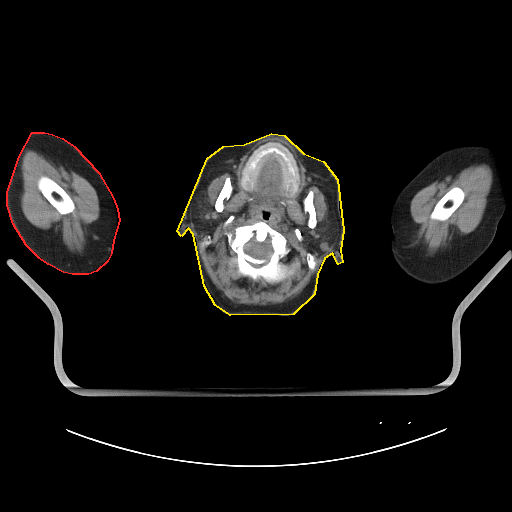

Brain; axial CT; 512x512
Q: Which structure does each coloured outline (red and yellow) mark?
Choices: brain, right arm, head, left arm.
A: red: right arm; yellow: head.
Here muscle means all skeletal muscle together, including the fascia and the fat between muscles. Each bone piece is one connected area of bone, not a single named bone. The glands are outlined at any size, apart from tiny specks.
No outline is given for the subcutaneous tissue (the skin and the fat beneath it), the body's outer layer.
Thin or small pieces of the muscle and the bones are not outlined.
right arm: [[32,132],[44,132],[52,134],[62,138],[74,146],[98,172],[113,198],[117,209],[119,220],[113,240],[111,253],[107,261],[96,271],[88,274],[72,274],[63,272],[48,264],[39,258],[26,245],[13,224],[7,205],[7,192],[19,156]]
head: [[271,133],[284,135],[303,153],[323,161],[337,179],[343,230],[340,250],[342,262],[338,264],[332,253],[324,258],[317,274],[314,294],[293,314],[230,315],[215,305],[204,286],[193,234],[188,228],[181,236],[177,231],[207,158],[223,146],[244,144]]
muscle 1: [[270,138],[283,140],[308,171],[332,187],[334,210],[331,207],[318,223],[314,192],[308,191],[302,205],[308,214],[306,225],[314,229],[309,234],[314,252],[323,254],[334,246],[304,291],[292,301],[276,305],[236,304],[221,295],[206,273],[196,235],[207,235],[202,246],[212,243],[210,235],[219,223],[216,211],[224,210],[224,201],[233,192],[231,178],[224,179],[213,206],[207,191],[200,189],[208,174],[225,159]]; inner edges: [[259,221],[264,221],[270,227],[282,234],[290,248],[289,253],[282,260],[291,267],[293,273],[278,283],[270,284],[261,279],[254,281],[240,275],[237,272],[235,264],[229,264],[229,259],[236,255],[229,246],[225,233],[232,231],[238,226],[251,225]], then [[268,142],[279,143],[286,147],[292,154],[299,174],[298,188],[294,194],[290,190],[287,191],[285,189],[284,181],[288,175],[287,170],[280,160],[280,157],[274,152],[265,155],[257,163],[253,188],[247,190],[243,187],[242,171],[246,162],[258,147]], then [[308,252],[309,252],[310,253],[311,253],[313,255],[313,256],[314,257],[314,260],[315,261],[315,267],[314,268],[314,269],[313,269],[312,270],[311,269],[310,269],[308,267],[308,266],[307,265],[307,260],[306,259],[306,253],[307,253]], then [[231,215],[232,215],[234,217],[233,218],[233,219],[226,226],[224,226],[224,223],[225,222],[225,221]], then [[295,229],[298,229],[299,230],[299,231],[300,232],[300,234],[301,235],[301,236],[302,237],[302,240],[299,240],[298,239],[298,238],[297,237],[297,235],[296,234],[296,233],[295,232]]
muscle 2: [[28,149],[35,150],[56,164],[61,164],[67,169],[75,171],[91,181],[92,185],[96,190],[100,206],[98,234],[99,238],[83,253],[70,251],[40,228],[36,227],[29,222],[21,212],[19,204],[19,195],[21,192],[20,167],[23,156],[26,150]]; inner edge: [[41,176],[46,176],[52,179],[55,182],[56,182],[68,194],[68,195],[73,201],[74,205],[75,206],[75,209],[73,212],[69,213],[68,214],[61,214],[48,201],[48,200],[42,194],[42,193],[38,188],[38,186],[37,185],[37,182],[39,178]]
muscle 3: [[480,163],[485,163],[489,165],[492,170],[493,175],[493,180],[488,201],[481,221],[474,230],[468,233],[454,247],[437,252],[432,255],[423,254],[412,246],[411,244],[409,230],[409,213],[410,212],[409,206],[411,199],[420,189],[433,181],[466,166]] with a hole at [[455,186],[457,186],[461,188],[465,193],[465,195],[464,196],[464,199],[463,201],[446,220],[443,220],[441,221],[437,219],[431,219],[430,218],[430,215],[435,205],[437,203],[437,202],[451,188]]
parotid glands 1: [[202,190],[206,191],[207,195],[208,196],[208,198],[209,199],[209,201],[217,215],[218,223],[216,225],[216,228],[211,234],[195,234],[192,229],[192,227],[190,225],[190,222],[189,221],[189,213],[191,209],[191,205],[198,192]]
parotid glands 2: [[331,208],[334,211],[334,214],[336,218],[336,222],[337,223],[338,233],[332,247],[330,249],[328,249],[325,252],[323,253],[320,253],[319,254],[315,252],[312,245],[310,243],[310,234],[314,231],[318,224],[328,215]]
brain: [[252,238],[254,238],[255,241],[258,243],[262,243],[264,242],[267,239],[269,240],[269,242],[270,243],[270,245],[271,246],[272,251],[269,255],[269,257],[268,259],[266,259],[263,257],[255,257],[247,253],[245,251],[244,249],[244,247],[245,245]]
bones 1: [[259,221],[264,221],[270,227],[282,234],[290,248],[289,253],[282,260],[291,267],[293,273],[278,283],[270,284],[261,279],[254,281],[240,275],[237,272],[235,264],[229,264],[229,259],[236,255],[229,246],[225,233],[232,231],[238,226],[251,225]], around a hole outlined by [[252,238],[254,238],[255,241],[258,243],[262,243],[264,242],[267,239],[269,240],[269,242],[270,243],[270,245],[271,246],[272,251],[269,255],[269,257],[268,259],[266,259],[263,257],[255,257],[247,253],[245,251],[244,249],[244,247],[245,245]]
bones 2: [[268,142],[279,143],[286,147],[292,154],[299,174],[298,188],[294,194],[290,190],[287,191],[285,189],[284,181],[288,175],[287,170],[280,160],[280,157],[274,152],[265,155],[257,163],[253,188],[247,190],[243,187],[242,171],[246,162],[258,147]]
bones 3: [[41,176],[46,176],[52,179],[55,182],[56,182],[68,194],[68,195],[73,201],[74,205],[75,206],[75,209],[73,212],[69,213],[68,214],[61,214],[48,201],[48,200],[42,194],[42,193],[38,188],[38,186],[37,185],[37,182],[39,178]]
bones 4: [[455,186],[457,186],[461,188],[465,193],[465,195],[464,196],[464,199],[463,201],[446,220],[443,220],[441,221],[437,219],[431,219],[430,218],[430,215],[435,205],[437,203],[437,202],[451,188]]
bones 5: [[310,190],[311,190],[313,192],[313,204],[315,208],[315,212],[316,213],[316,220],[317,221],[317,223],[314,228],[310,228],[307,225],[307,222],[308,221],[309,214],[304,210],[304,206],[303,205],[303,200],[305,198],[305,197],[307,195],[307,194]]
bones 6: [[227,177],[229,177],[230,178],[230,181],[231,182],[231,185],[232,186],[232,192],[230,196],[228,198],[226,198],[223,201],[223,205],[224,206],[223,208],[223,210],[219,212],[215,209],[214,207],[214,205],[215,204],[216,199],[224,184],[225,179]]
bones 7: [[231,215],[232,215],[234,217],[233,218],[233,219],[226,226],[224,226],[224,223],[225,222],[225,221]]
left arm: [[475,144],[486,145],[489,148],[496,164],[505,193],[506,207],[497,225],[495,236],[485,252],[470,267],[457,277],[445,283],[434,285],[419,282],[406,275],[398,267],[390,251],[390,239],[392,234],[390,213],[393,203],[402,188],[440,153],[453,147]]